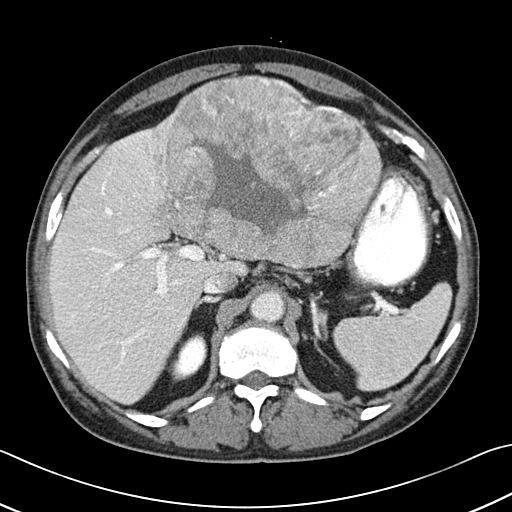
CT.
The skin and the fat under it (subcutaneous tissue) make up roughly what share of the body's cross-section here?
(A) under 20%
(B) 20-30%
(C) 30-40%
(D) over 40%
(A) under 20%
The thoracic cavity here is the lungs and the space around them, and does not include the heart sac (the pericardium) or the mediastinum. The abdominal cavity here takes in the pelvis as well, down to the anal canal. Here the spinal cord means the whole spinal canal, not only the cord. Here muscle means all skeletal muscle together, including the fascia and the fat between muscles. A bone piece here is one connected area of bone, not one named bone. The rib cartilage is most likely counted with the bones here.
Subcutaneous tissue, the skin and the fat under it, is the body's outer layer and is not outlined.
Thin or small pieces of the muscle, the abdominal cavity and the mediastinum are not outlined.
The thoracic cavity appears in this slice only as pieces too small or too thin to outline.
{"bones":[{"outer":[[248,324],[278,328],[289,339],[298,357],[296,371],[277,379],[279,393],[276,396],[268,396],[262,403],[259,410],[262,426],[258,432],[250,428],[254,414],[252,405],[247,399],[238,397],[234,393],[235,381],[221,375],[218,369],[218,351],[223,336]],"hole":[[255,370],[257,370],[258,371],[260,371],[264,373],[266,375],[267,375],[267,376],[269,378],[269,382],[266,385],[264,386],[262,386],[258,389],[254,389],[244,384],[242,381],[243,378],[246,375],[247,375],[249,373]]},[[382,125],[384,125],[385,126],[388,126],[389,127],[392,127],[393,128],[396,128],[404,134],[406,134],[409,136],[413,137],[424,148],[427,154],[427,159],[425,161],[420,159],[405,145],[401,143],[396,143],[390,137],[389,137],[382,129],[381,127]],[[62,187],[64,188],[65,194],[61,204],[61,217],[59,220],[59,223],[57,225],[57,227],[55,230],[55,232],[53,235],[52,239],[50,241],[47,241],[45,239],[45,230],[46,229],[46,223],[47,222],[48,212],[53,199],[55,197],[58,191]],[[442,195],[446,195],[448,196],[455,209],[455,211],[457,214],[458,219],[460,222],[461,231],[462,232],[462,238],[458,243],[456,243],[454,235],[452,232],[452,230],[448,223],[448,221],[446,218],[446,216],[442,208],[442,203],[443,202]],[[125,410],[135,410],[143,413],[153,414],[156,416],[159,416],[160,417],[163,417],[165,418],[168,421],[168,422],[167,424],[159,427],[151,427],[150,426],[147,426],[141,423],[139,423],[133,419],[128,417],[123,411]],[[455,321],[460,321],[461,323],[460,330],[455,340],[449,347],[449,348],[446,351],[446,352],[443,355],[441,359],[436,364],[433,365],[432,364],[432,362],[436,357],[439,351],[439,349],[444,339],[446,337],[449,330],[451,328],[451,327],[453,325]],[[295,382],[297,382],[297,383],[300,386],[322,396],[327,400],[329,404],[328,405],[319,405],[318,404],[315,404],[314,403],[308,402],[303,399],[299,398],[295,394],[293,394],[292,393],[292,391],[294,387],[294,383]],[[47,328],[50,329],[52,331],[59,346],[61,348],[61,349],[64,353],[66,358],[68,360],[68,361],[70,364],[70,367],[69,368],[67,368],[63,364],[63,363],[52,352],[52,351],[50,349],[50,348],[47,343],[46,338],[45,337],[45,331]],[[389,401],[391,402],[391,405],[384,411],[381,412],[376,416],[370,419],[368,419],[367,420],[361,420],[359,418],[360,412],[364,408],[366,407],[369,407],[370,406],[373,406],[374,405],[378,405],[379,404],[382,404],[383,403],[385,403]],[[209,395],[214,395],[215,396],[215,398],[213,402],[203,407],[201,407],[198,409],[196,409],[191,412],[188,412],[186,411],[186,409],[188,406],[189,406],[200,398],[202,398],[203,397],[205,397]],[[101,144],[102,144],[103,145],[103,146],[98,153],[97,153],[91,159],[89,159],[87,161],[86,161],[81,165],[79,165],[80,164],[80,163],[82,161],[83,158],[86,155],[86,154],[91,149],[92,149],[94,147],[95,147],[96,146],[98,146]]],"muscle":[{"outer":[[223,62],[225,63],[236,63],[237,62],[242,64],[251,64],[255,62],[282,62],[294,64],[328,74],[343,82],[345,82],[371,97],[413,128],[434,150],[446,169],[464,214],[471,241],[472,269],[473,270],[472,292],[469,297],[469,304],[467,308],[464,329],[460,338],[460,342],[448,365],[447,370],[438,382],[430,387],[421,397],[413,404],[410,405],[407,409],[383,423],[379,427],[352,439],[341,441],[330,445],[313,447],[296,451],[290,451],[286,449],[285,450],[274,449],[270,447],[259,435],[256,438],[252,436],[247,445],[242,449],[235,448],[220,449],[219,451],[207,449],[186,448],[180,447],[174,444],[161,443],[133,431],[121,423],[114,422],[106,418],[101,417],[95,413],[93,413],[75,400],[70,393],[64,388],[60,379],[56,374],[56,371],[45,349],[44,339],[40,329],[40,317],[35,299],[35,291],[33,283],[33,253],[45,199],[51,183],[63,159],[75,144],[83,136],[89,132],[102,118],[108,115],[109,113],[133,95],[149,86],[181,71],[202,65]],"hole":[[242,68],[280,74],[318,92],[359,103],[381,126],[396,128],[413,137],[424,148],[425,161],[405,145],[395,145],[429,180],[432,193],[441,206],[442,195],[448,196],[460,222],[462,238],[455,244],[458,288],[449,326],[450,329],[455,321],[460,321],[460,330],[436,364],[432,362],[438,347],[411,381],[386,401],[391,405],[370,419],[359,418],[361,407],[331,397],[325,398],[328,405],[299,398],[292,393],[294,383],[306,386],[296,371],[277,379],[279,393],[268,396],[262,403],[259,410],[262,426],[260,431],[254,432],[250,428],[254,414],[252,405],[234,393],[233,379],[218,372],[211,387],[201,396],[214,395],[213,402],[191,412],[186,411],[190,403],[180,405],[159,416],[165,418],[167,424],[151,427],[128,417],[123,411],[125,408],[90,387],[71,364],[69,368],[63,364],[47,343],[47,328],[59,342],[48,295],[48,256],[52,241],[45,239],[48,212],[58,191],[62,187],[65,191],[63,208],[74,182],[92,160],[79,165],[83,158],[94,147],[104,146],[122,119],[193,84],[235,73]]}],"spinal_cord":[[[255,370],[257,370],[258,371],[260,371],[264,373],[266,375],[267,375],[267,376],[269,378],[269,382],[266,385],[264,386],[262,386],[258,389],[254,389],[244,384],[242,381],[243,378],[246,375],[247,375],[249,373]]],"torso":[[[232,44],[305,51],[334,61],[371,82],[403,108],[439,147],[476,226],[479,315],[456,376],[439,401],[415,423],[349,455],[292,463],[200,463],[116,446],[83,429],[65,411],[30,340],[26,242],[46,178],[72,134],[104,98],[140,72],[184,53]]],"abdominal_cavity":[[[242,68],[359,103],[429,180],[441,206],[457,254],[449,329],[430,361],[382,403],[358,407],[302,383],[298,353],[286,334],[288,301],[278,291],[260,293],[231,322],[211,387],[161,415],[126,409],[98,393],[59,344],[48,256],[74,182],[122,119]]],"mediastinum":[[[266,291],[278,292],[282,294],[287,301],[287,310],[285,313],[285,334],[278,327],[268,324],[265,325],[264,324],[249,324],[248,323],[244,325],[240,325],[231,331],[231,324],[237,316],[242,311],[247,309],[254,299]]]}